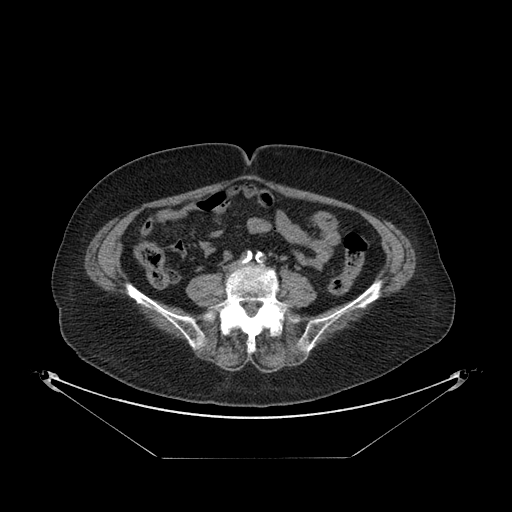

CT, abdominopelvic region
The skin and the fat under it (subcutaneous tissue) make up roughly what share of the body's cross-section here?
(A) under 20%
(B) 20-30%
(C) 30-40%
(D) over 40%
Answer: (D) over 40%
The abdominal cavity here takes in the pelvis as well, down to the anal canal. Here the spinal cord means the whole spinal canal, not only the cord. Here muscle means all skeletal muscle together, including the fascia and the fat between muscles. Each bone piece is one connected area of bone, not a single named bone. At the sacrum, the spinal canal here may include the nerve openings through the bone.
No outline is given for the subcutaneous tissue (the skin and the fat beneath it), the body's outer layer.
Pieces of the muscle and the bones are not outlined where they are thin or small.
{"bones":[{"outer":[[247,265],[274,269],[279,283],[276,298],[290,306],[284,314],[281,333],[271,336],[269,330],[264,328],[255,337],[256,348],[250,354],[246,351],[247,335],[238,327],[233,328],[227,335],[222,334],[218,310],[212,308],[227,296],[226,276],[236,268]],"hole":[[249,301],[250,301],[251,302],[259,302],[260,303],[259,306],[257,308],[257,310],[256,311],[255,314],[252,316],[250,316],[249,315],[248,315],[247,312],[245,310],[245,309],[244,308],[244,307],[242,304],[242,302],[248,302]]},[[376,279],[382,280],[382,286],[380,290],[381,295],[379,298],[372,301],[363,308],[356,308],[347,310],[324,330],[319,336],[315,345],[308,353],[306,354],[300,350],[297,343],[304,331],[307,322],[309,320],[315,318],[325,317],[340,309],[360,295]],[[125,282],[130,282],[142,293],[154,300],[163,308],[179,315],[188,315],[194,318],[204,334],[205,337],[204,345],[198,349],[193,349],[181,332],[165,317],[157,311],[148,308],[138,303],[133,298],[130,297],[126,293],[126,290],[124,285]],[[210,310],[212,310],[213,311],[214,311],[215,312],[215,313],[216,314],[216,316],[215,317],[215,318],[213,320],[213,321],[209,321],[208,320],[205,320],[204,319],[203,319],[203,314],[205,312],[206,312],[207,311],[209,311]]],"spinal_cord":[[[249,301],[250,301],[251,302],[259,302],[260,303],[259,306],[257,308],[257,310],[256,311],[255,314],[252,316],[250,316],[249,315],[248,315],[247,312],[245,310],[245,309],[244,308],[244,307],[242,304],[242,302],[248,302]]],"torso":[[[202,142],[233,143],[249,156],[258,146],[270,143],[317,147],[354,157],[394,177],[424,210],[451,279],[455,312],[447,334],[363,384],[310,402],[261,408],[192,403],[150,394],[82,361],[61,336],[50,283],[73,211],[89,189],[118,166],[154,151]]],"muscle":[{"outer":[[246,174],[254,174],[266,180],[273,181],[279,184],[282,184],[297,189],[310,191],[321,195],[332,197],[338,200],[352,204],[359,208],[367,210],[378,216],[380,216],[391,222],[408,238],[415,252],[415,256],[416,257],[416,263],[415,264],[415,269],[413,275],[403,289],[389,298],[376,304],[361,319],[352,324],[349,327],[344,329],[333,337],[328,339],[327,341],[320,344],[312,352],[309,357],[301,364],[295,366],[286,366],[281,368],[279,370],[272,372],[262,372],[250,363],[248,363],[239,370],[230,371],[229,370],[222,369],[211,362],[200,359],[195,355],[193,351],[187,345],[183,343],[180,340],[175,337],[172,337],[170,335],[157,329],[153,326],[151,326],[138,311],[125,299],[119,295],[110,293],[98,286],[90,279],[89,276],[86,273],[84,267],[84,258],[86,253],[86,249],[90,241],[95,234],[109,220],[118,214],[139,205],[141,205],[146,202],[150,202],[161,198],[164,198],[173,195],[177,195],[191,190],[194,190],[203,186],[210,185],[223,180],[228,180],[240,175],[245,175]],"holes":[[[238,181],[357,212],[380,236],[380,297],[343,313],[306,354],[297,343],[307,322],[346,304],[299,313],[317,292],[298,272],[280,272],[276,298],[290,306],[281,333],[271,336],[264,328],[250,354],[238,327],[227,335],[220,331],[218,310],[212,308],[227,296],[219,272],[196,275],[185,286],[199,312],[155,301],[195,319],[205,337],[198,349],[160,313],[126,293],[121,237],[134,218],[146,208],[177,205]],[[210,310],[212,310],[213,311],[214,311],[215,312],[215,313],[216,314],[216,316],[215,317],[215,318],[213,320],[213,321],[209,321],[208,320],[205,320],[204,319],[203,319],[203,314],[205,312],[206,312],[207,311],[209,311]],[[289,314],[291,314],[292,315],[295,315],[296,316],[297,316],[299,318],[299,321],[298,322],[292,322],[291,321],[290,321],[289,320],[289,318],[288,317],[289,316]]]}],"abdominal_cavity":[[[238,181],[357,212],[381,239],[385,259],[375,279],[350,301],[314,315],[296,311],[317,297],[308,278],[282,269],[279,282],[266,265],[238,266],[224,284],[219,272],[192,277],[184,291],[199,312],[142,292],[121,263],[121,237],[134,218]]]}